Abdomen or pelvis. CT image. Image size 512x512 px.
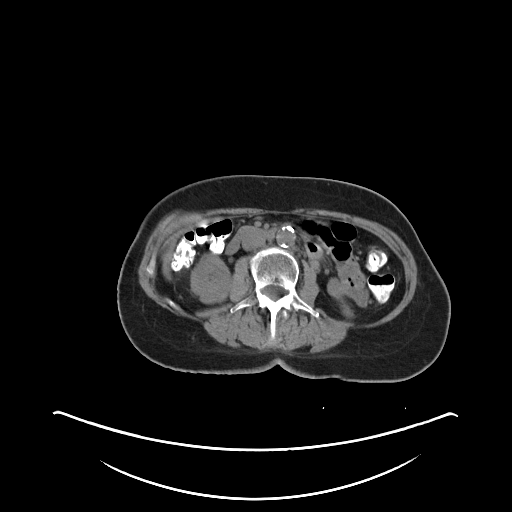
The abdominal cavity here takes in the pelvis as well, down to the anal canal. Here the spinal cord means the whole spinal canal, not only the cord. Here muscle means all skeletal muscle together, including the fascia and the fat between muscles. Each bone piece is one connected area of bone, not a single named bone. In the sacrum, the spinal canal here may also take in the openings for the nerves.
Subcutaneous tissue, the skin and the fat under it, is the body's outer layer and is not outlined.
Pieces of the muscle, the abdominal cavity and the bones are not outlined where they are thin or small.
The spinal cord is outlined by 270 285; 273 285; 274 286; 277 286; 278 287; 280 287; 281 288; 282 288; 286 292; 276 300; 273 300; 272 299; 271 299; 267 295; 266 295; 264 293; 263 293; 262 292; 262 290; 263 289; 263 288; 264 288; 267 286; 269 286. The muscle is outlined by 231 207; 255 207; 256 208; 277 209; 278 210; 289 210; 290 209; 299 208; 300 207; 305 207; 306 208; 318 208; 319 209; 326 209; 327 210; 344 212; 345 213; 348 213; 352 215; 363 217; 373 221; 379 222; 393 230; 404 241; 410 249; 414 257; 414 259; 416 262; 416 265; 417 266; 417 284; 416 285; 416 289; 415 290; 413 298; 405 308; 393 319; 381 325; 379 325; 375 327; 372 327; 371 328; 350 329; 348 331; 348 333; 343 341; 335 347; 326 351; 317 351; 313 353; 293 353; 288 351; 282 351; 278 349; 275 346; 271 346; 261 351; 252 352; 251 351; 239 350; 238 349; 223 346; 212 338; 206 332; 202 326; 195 321; 193 321; 190 319; 188 319; 181 316; 178 316; 172 313; 167 309; 163 308; 158 305; 152 299; 147 296; 141 288; 138 281; 138 267; 143 254; 145 244; 149 235; 157 223; 166 214; 178 209; 186 210; 187 211; 192 211; 193 210; 195 211; 204 211; 208 209; 213 209; 214 208; 230 208 with holes at 232 214; 305 214; 349 220; 385 241; 400 260; 405 281; 403 295; 390 311; 371 321; 332 317; 315 305; 320 291; 317 273; 301 257; 297 261; 300 269; 296 292; 319 316; 291 309; 284 317; 280 311; 272 340; 269 312; 257 304; 250 256; 243 255; 235 261; 227 303; 194 312; 177 304; 172 307; 168 298; 157 290; 155 274; 147 274; 149 262; 152 258; 155 261; 168 241; 181 232 and at 244 299; 246 299; 247 300; 248 300; 250 302; 253 302; 253 304; 251 306; 246 306; 245 307; 243 307; 240 309; 238 309; 233 312; 231 312; 230 311; 230 309; 232 307; 233 307; 235 304; 236 304; 241 300; 243 300. The bones appear in 2 outlined pieces: piece 1: 268 247; 281 248; 294 256; 299 267; 296 292; 301 299; 319 313; 317 318; 302 309; 291 309; 288 311; 288 316; 284 317; 280 311; 275 319; 273 340; 270 338; 269 312; 257 304; 254 291; 255 283; 249 269; 250 257; 259 250, around a hole outlined by 270 285; 273 285; 274 286; 277 286; 278 287; 280 287; 281 288; 282 288; 286 292; 276 300; 273 300; 272 299; 271 299; 267 295; 266 295; 264 293; 263 293; 262 292; 262 290; 263 289; 263 288; 264 288; 267 286; 269 286; piece 2: 244 299; 246 299; 247 300; 248 300; 250 302; 253 302; 253 304; 251 306; 246 306; 245 307; 243 307; 240 309; 238 309; 233 312; 231 312; 230 311; 230 309; 232 307; 233 307; 235 304; 236 304; 241 300; 243 300. The torso is outlined by 233 174; 336 179; 374 190; 394 203; 412 224; 449 293; 449 327; 437 358; 423 371; 403 381; 364 383; 302 377; 279 365; 247 374; 184 372; 163 367; 142 355; 122 328; 116 298; 120 268; 142 219; 158 200; 180 186; 200 179. The abdominal cavity is outlined by 232 214; 305 214; 349 220; 385 241; 400 260; 405 281; 403 295; 390 311; 371 321; 332 317; 315 305; 320 287; 317 273; 308 262; 302 257; 297 260; 286 249; 268 246; 235 261; 227 303; 187 311; 157 290; 156 258; 181 232.